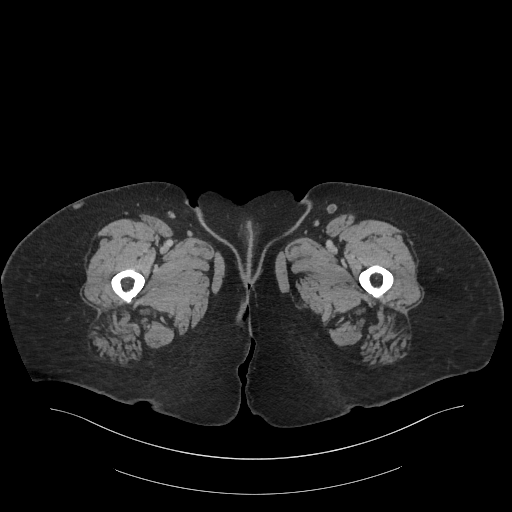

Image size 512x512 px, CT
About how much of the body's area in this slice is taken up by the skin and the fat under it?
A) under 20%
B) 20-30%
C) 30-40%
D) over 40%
D) over 40%
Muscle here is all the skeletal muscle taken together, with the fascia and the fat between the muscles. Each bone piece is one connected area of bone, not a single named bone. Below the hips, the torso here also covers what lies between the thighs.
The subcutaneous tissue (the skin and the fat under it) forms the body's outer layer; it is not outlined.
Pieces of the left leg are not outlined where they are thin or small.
Outlines (x, y in pixels):
muscle 1: 141,199 169,205 215,243 223,257 225,273 219,291 196,330 173,347 161,359 132,369 97,363 93,358 88,349 87,338 89,325 93,316 90,308 80,298 79,289 86,279 83,264 84,255 93,234 108,220 with a hole at 127,268 133,268 136,271 141,273 145,279 145,282 144,283 144,285 143,287 139,291 139,292 131,300 131,301 129,303 127,303 125,302 118,295 117,295 114,292 111,286 111,278 116,273 124,269 126,269
muscle 2: 338,211 365,211 392,223 407,232 417,253 419,260 417,278 425,293 421,303 409,314 412,333 411,346 408,354 398,362 370,368 355,363 336,353 303,321 279,290 275,276 275,258 278,252 289,241 303,235; inner edge: 375,264 380,265 386,268 388,270 389,270 393,275 393,283 391,287 380,297 378,298 375,298 371,294 368,293 360,285 359,283 359,281 358,280 358,277 361,271 367,268 369,266 371,265 374,265
torso: 276,189 287,189 293,193 296,199 303,196 307,204 307,210 305,215 295,226 265,248 257,271 249,282 239,257 232,246 214,234 200,219 195,205 196,199 200,193 207,190 213,190 237,204 242,204 260,194
left leg: 328,181 408,193 435,204 456,219 478,242 493,268 503,301 503,320 489,360 479,370 444,378 380,406 356,406 329,420 275,427 250,411 245,394 246,374 255,346 249,319 250,283 266,248 306,215 306,192
right leg: 144,181 165,181 182,188 199,219 231,246 250,285 248,319 253,340 238,368 239,410 227,424 198,425 154,411 145,401 127,404 67,382 34,381 16,345 1,281 3,268 15,246 34,227 67,204 92,193
bones 1: 375,264 380,265 386,268 388,270 389,270 393,275 393,283 391,287 380,297 378,298 375,298 371,294 368,293 360,285 359,283 359,281 358,280 358,277 361,271 367,268 369,266 371,265 374,265
bones 2: 127,268 133,268 136,271 141,273 145,279 145,282 144,283 144,285 143,287 139,291 139,292 131,300 131,301 129,303 127,303 125,302 118,295 117,295 114,292 111,286 111,278 116,273 124,269 126,269